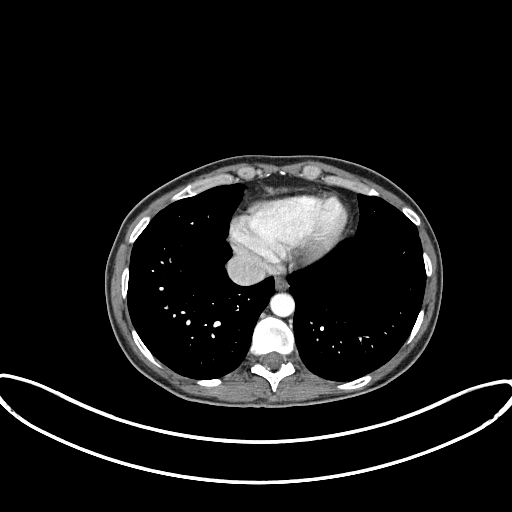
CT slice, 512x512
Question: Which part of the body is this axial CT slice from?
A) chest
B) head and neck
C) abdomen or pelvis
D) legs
Answer: A) chest
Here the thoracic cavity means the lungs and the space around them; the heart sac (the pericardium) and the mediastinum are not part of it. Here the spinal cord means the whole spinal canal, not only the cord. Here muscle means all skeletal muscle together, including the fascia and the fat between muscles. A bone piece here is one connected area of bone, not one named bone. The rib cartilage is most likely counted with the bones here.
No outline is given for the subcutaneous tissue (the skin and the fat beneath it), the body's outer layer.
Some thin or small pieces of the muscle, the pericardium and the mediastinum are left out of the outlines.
The mediastinum appears in 2 outlined pieces: piece 1: 292 325; 295 302; 289 291; 289 284; 286 276; 279 273; 263 260; 248 254; 227 237; 226 241; 233 249; 233 253; 224 266; 228 276; 233 282; 242 286; 247 286; 259 283; 269 276; 274 280; 275 291; 259 319; 267 315; 272 315; piece 2: 344 239; 355 233; 359 214; 357 193; 321 182; 287 175; 272 175; 262 179; 242 180; 238 182; 242 183; 245 189; 243 198; 234 212; 231 221; 244 202; 249 197; 259 193; 301 186; 321 186; 336 190; 350 203; 353 210; 352 219. The muscle appears in 2 outlined pieces: piece 1: 228 401; 251 401; 263 398; 269 401; 303 400; 321 394; 354 390; 339 390; 336 386; 341 382; 327 380; 313 374; 303 364; 296 349; 290 356; 296 371; 281 380; 275 393; 271 391; 269 383; 263 377; 249 370; 258 359; 252 355; 247 354; 240 365; 221 378; 222 383; 215 387; 197 385; 195 379; 178 374; 162 363; 160 368; 152 364; 139 351; 132 339; 130 329; 133 325; 126 300; 121 297; 120 293; 120 275; 122 269; 129 265; 132 248; 127 237; 138 220; 146 214; 152 218; 171 202; 172 195; 188 183; 219 173; 229 172; 235 175; 239 167; 248 165; 262 171; 254 178; 272 174; 305 178; 300 175; 302 168; 307 164; 317 165; 322 170; 322 174; 314 180; 324 182; 321 178; 323 175; 333 174; 375 188; 382 198; 398 209; 403 205; 409 206; 403 200; 364 177; 320 161; 308 160; 280 166; 242 162; 202 174; 169 191; 154 200; 131 222; 116 253; 110 288; 114 315; 122 334; 134 353; 148 367; 178 388; 191 394; piece 2: 366 385; 369 385; 382 378; 395 368; 408 355; 427 329; 433 313; 437 291; 437 272; 436 271; 437 269; 437 259; 433 244; 421 219; 421 224; 417 227; 418 233; 421 240; 422 248; 423 250; 425 250; 428 253; 433 264; 432 275; 429 278; 427 278; 426 280; 425 292; 422 303; 422 307; 425 309; 424 320; 414 339; 409 344; 407 345; 404 344; 387 362; 374 370; 371 373; 373 378. The spinal cord is outlined by 271 369; 276 369; 277 368; 278 368; 279 367; 279 366; 283 362; 284 362; 285 361; 283 358; 283 355; 282 355; 281 354; 279 354; 276 352; 270 352; 269 353; 268 353; 265 355; 263 355; 262 356; 262 363; 264 365; 269 367. The bones appear in 12 outlined pieces: piece 1: 273 392; 276 391; 278 383; 283 377; 295 371; 294 366; 289 359; 289 356; 294 351; 295 343; 291 325; 288 325; 275 317; 267 316; 261 318; 256 323; 247 353; 259 358; 251 366; 250 370; 253 373; 263 376; 270 383, around a hole outlined by 271 369; 276 369; 277 368; 278 368; 279 367; 279 366; 283 362; 284 362; 285 361; 283 358; 283 355; 282 355; 281 354; 279 354; 276 352; 270 352; 269 353; 268 353; 265 355; 263 355; 262 356; 262 363; 264 365; 269 367; piece 2: 172 202; 182 198; 196 195; 214 186; 237 182; 241 178; 251 179; 256 174; 259 175; 261 171; 259 169; 255 169; 253 167; 248 166; 239 168; 236 171; 235 176; 229 173; 225 173; 198 180; 193 183; 188 184; 172 196; 171 198; piece 3: 375 196; 379 196; 379 193; 375 189; 371 188; 362 183; 355 182; 351 180; 347 180; 333 175; 328 175; 327 176; 323 176; 322 177; 327 184; 344 187; 345 188; 350 189; 353 191; 355 191; 358 193; 361 193; 365 195; 374 195; piece 4: 159 367; 161 366; 161 363; 154 357; 154 356; 142 341; 142 340; 140 338; 139 335; 137 333; 134 327; 132 327; 131 329; 131 333; 132 334; 133 339; 136 345; 140 350; 140 351; 152 363; 153 363; 155 365; piece 5: 346 390; 349 390; 350 389; 357 389; 358 388; 360 388; 364 386; 366 384; 367 384; 367 383; 372 378; 371 374; 369 373; 357 379; 355 379; 351 381; 348 381; 347 382; 343 382; 339 384; 337 386; 337 388; 339 389; 345 389; piece 6: 130 243; 133 243; 135 241; 137 237; 141 233; 141 232; 146 227; 146 226; 148 224; 148 223; 151 219; 151 217; 150 216; 148 215; 146 215; 142 217; 136 224; 133 230; 131 232; 130 235; 128 237; 128 241; piece 7: 405 344; 407 344; 409 343; 413 339; 414 336; 418 331; 420 327; 420 325; 423 320; 423 317; 424 316; 424 309; 423 308; 421 308; 421 309; 419 311; 417 315; 416 320; 411 330; 411 332; 408 338; 404 343; piece 8: 310 180; 313 180; 314 179; 315 179; 317 177; 318 177; 321 174; 321 170; 317 166; 313 166; 312 165; 307 165; 306 166; 305 166; 303 168; 303 169; 302 170; 302 174; 301 175; 302 176; 304 176; 307 179; 309 179; piece 9: 124 299; 126 299; 126 295; 127 294; 127 285; 128 284; 128 279; 129 278; 129 268; 128 267; 128 266; 126 266; 123 269; 123 271; 122 272; 122 274; 121 275; 121 293; 122 294; 122 297; piece 10: 416 226; 418 226; 420 224; 420 218; 419 217; 419 216; 415 212; 415 211; 414 211; 411 208; 410 208; 409 207; 408 207; 407 206; 403 206; 401 208; 401 209; 400 210; piece 11: 204 386; 215 386; 216 385; 218 385; 219 384; 220 384; 221 383; 221 380; 219 378; 213 378; 212 379; 197 379; 196 380; 196 383; 197 384; 199 384; 200 385; 203 385; piece 12: 427 277; 429 277; 431 275; 431 273; 432 272; 432 264; 431 263; 431 260; 429 256; 427 254; 427 253; 425 251; 423 251; 423 253; 422 254; 423 255; 423 261; 424 262; 424 267; 425 268; 425 272; 426 273; 426 275. The thoracic cavity appears in 2 outlined pieces: piece 1: 196 379; 220 378; 239 365; 248 350; 253 327; 274 291; 270 277; 256 285; 239 286; 229 279; 223 266; 232 253; 225 238; 242 198; 244 186; 239 183; 214 187; 171 203; 151 220; 133 244; 127 295; 132 322; 156 358; 176 372; piece 2: 342 382; 371 372; 387 361; 403 344; 421 307; 426 279; 417 228; 399 210; 380 197; 361 194; 358 195; 360 214; 355 235; 340 242; 319 260; 287 276; 290 284; 290 291; 296 302; 293 331; 296 348; 302 361; 313 373; 327 379. The pericardium is outlined by 284 275; 303 268; 319 259; 343 239; 351 219; 352 210; 349 203; 336 191; 321 187; 301 187; 286 191; 259 194; 249 198; 233 220; 230 222; 229 233; 227 236; 230 239; 234 241; 237 245; 245 251; 258 258; 263 259. The torso is outlined by 268 408; 325 403; 382 387; 417 360; 435 329; 443 291; 443 264; 436 235; 422 209; 409 194; 362 164; 316 154; 243 154; 221 158; 189 170; 146 195; 126 215; 112 244; 104 275; 106 308; 114 336; 132 365; 161 387; 189 401.